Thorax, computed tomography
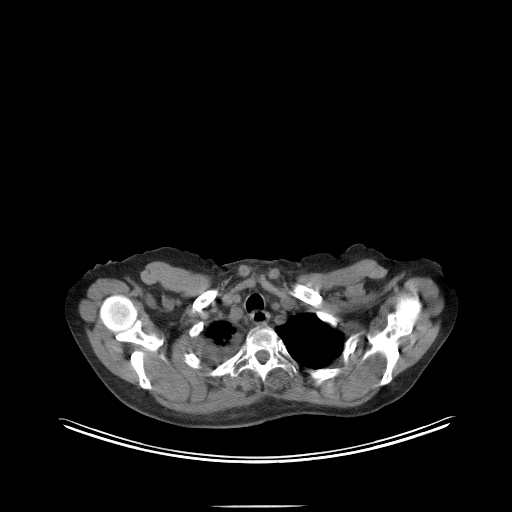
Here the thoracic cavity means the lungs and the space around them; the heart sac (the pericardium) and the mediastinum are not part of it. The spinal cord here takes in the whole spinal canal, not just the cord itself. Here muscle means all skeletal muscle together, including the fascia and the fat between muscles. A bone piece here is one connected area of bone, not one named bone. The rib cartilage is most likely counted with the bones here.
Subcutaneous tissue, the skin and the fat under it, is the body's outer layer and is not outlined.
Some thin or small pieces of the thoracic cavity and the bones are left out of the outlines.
The right arm is outlined by 135,253 136,253 136,255 148,278 148,307 147,309 132,326 98,343 95,346 79,348 69,329 64,313 64,296 68,287 75,280 79,278 87,269 91,268 96,263 104,263 108,260 122,260 126,257. The thoracic cavity appears in 2 outlined pieces: piece 1: 303,312 314,313 321,321 328,324 333,328 336,328 340,331 345,338 340,354 336,357 328,366 314,368 313,367 306,367 301,365 291,355 283,340 275,330 275,327 277,325 282,325 284,324 290,316 296,315; piece 2: 224,318 230,319 243,331 245,331 246,333 243,341 236,352 222,362 217,365 215,365 214,363 212,363 197,355 199,351 198,348 203,343 203,338 202,335 200,334 204,330 204,328 206,326 208,326 214,320. The bones appear in 10 outlined pieces: piece 1: 255,326 269,326 274,329 290,355 299,364 297,372 291,376 284,369 277,367 267,374 265,382 263,382 254,371 248,368 242,370 235,377 227,373 221,376 209,376 207,374 209,371 237,352 247,332, around a hole outlined by 261,350 263,350 264,351 266,351 268,353 268,354 269,355 269,356 268,357 268,358 266,360 266,361 265,362 264,362 263,363 261,363 257,359 257,358 256,357 256,353 258,351 260,351; piece 2: 413,291 417,293 422,305 419,317 411,333 398,339 399,357 392,370 391,381 379,386 378,383 386,367 386,358 377,352 361,361 364,353 371,347 367,334 372,335 382,330 387,324 387,315 395,308 398,296; piece 3: 114,294 122,294 128,297 133,302 137,308 138,317 141,321 141,329 145,333 155,333 159,337 164,338 163,343 157,349 156,353 147,350 140,345 131,342 117,340 114,333 102,323 99,317 100,306 106,297; piece 4: 296,282 305,285 310,289 312,289 314,291 320,294 322,297 322,304 319,308 322,311 329,313 338,318 338,321 336,327 333,327 328,323 321,320 315,313 317,309 314,306 296,298 288,292 291,288 291,286; piece 5: 135,349 139,349 140,350 142,350 144,352 144,370 152,386 152,388 149,390 146,390 145,389 143,389 140,386 139,384 139,381 138,380 138,376 130,362 130,356 132,352; piece 6: 325,367 331,367 332,368 334,367 340,367 342,368 342,370 341,372 336,376 332,378 326,379 324,380 320,384 317,385 316,384 315,380 308,373 307,369 308,368 313,368 314,369 317,369 318,368 324,368; piece 7: 211,288 216,288 217,289 218,289 218,294 215,297 215,298 212,301 211,301 205,307 202,308 199,312 198,311 192,311 192,304 193,303 194,300 200,294 201,294 204,291 205,291 208,289 210,289; piece 8: 354,333 358,333 359,334 358,335 358,341 357,342 356,347 353,353 352,354 350,354 348,356 348,359 347,360 347,362 345,363 341,356 341,353 342,352 342,350 344,346 344,343 346,339; piece 9: 191,351 192,352 193,352 198,357 199,357 200,358 200,359 201,360 201,361 200,362 200,365 201,366 201,367 200,368 193,368 185,363 185,362 183,359 183,353 184,352 186,352 187,353 188,353; piece 10: 199,321 202,321 203,322 203,324 204,325 204,327 203,328 203,330 199,334 199,335 198,335 195,337 192,337 191,336 190,336 190,335 188,332 189,329 192,326 192,325 193,325 194,324 197,323. The left arm is outlined by 420,257 427,257 437,261 440,264 445,277 455,287 458,293 459,302 458,303 458,311 457,312 456,320 449,336 440,348 436,347 396,322 386,308 386,303 388,298 395,260 396,259 398,260 409,260. The mediastinum is outlined by 257,285 277,297 293,301 297,304 311,309 314,312 303,311 290,315 284,323 277,324 274,328 269,325 255,325 252,326 247,331 243,330 228,317 216,318 216,314 223,301 229,295 236,293 243,289 254,287. The spinal cord is outlined by 261,350 263,350 264,351 266,351 268,353 268,354 269,355 269,356 268,357 268,358 266,360 266,361 265,362 264,362 263,363 261,363 257,359 257,358 256,357 256,353 258,351 260,351. The muscle is outlined by 363,257 430,277 442,289 444,308 436,339 393,379 399,339 412,333 423,306 415,290 397,296 385,326 366,334 370,347 360,358 363,362 377,353 385,358 377,383 381,387 352,407 265,397 210,414 172,410 148,391 153,386 145,370 145,352 135,348 129,356 141,388 114,375 93,352 78,311 89,284 152,261 217,276 241,264 294,274 326,272; inner edges: 296,282 320,294 319,308 338,318 336,328 346,339 359,334 347,362 340,354 329,364 342,368 339,374 317,385 300,364 291,376 274,368 263,382 248,368 235,377 227,373 213,377 207,373 214,363 202,357 200,368 185,363 183,353 197,355 203,343 201,334 190,336 192,325 202,321 208,326 223,301 243,289 257,285 315,312 314,306 288,292, then 114,294 122,294 128,297 133,302 137,308 138,317 141,321 141,329 145,333 155,333 159,337 164,338 163,343 157,349 156,353 147,350 140,345 131,342 117,340 114,333 102,323 99,317 100,306 106,297, then 211,288 216,288 217,289 218,289 218,294 215,297 215,298 212,301 211,301 205,307 202,308 199,312 198,311 192,311 192,304 193,303 194,300 200,294 201,294 204,291 205,291 208,289 210,289. The torso is outlined by 354,243 395,259 385,308 396,323 439,349 407,393 375,412 348,418 299,414 233,428 176,426 124,405 79,349 95,347 132,327 148,309 149,278 137,253 171,246 218,264 244,258 295,261 317,252 338,254.